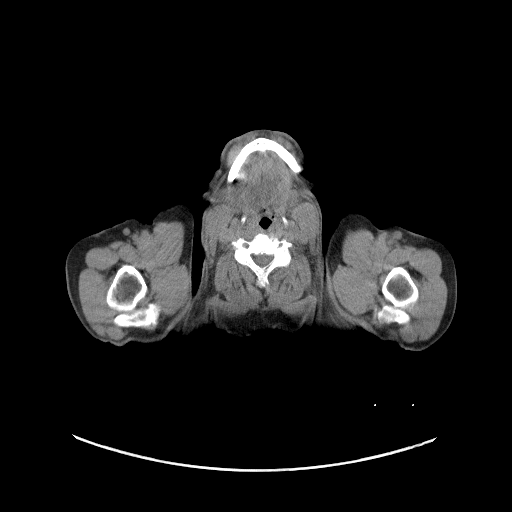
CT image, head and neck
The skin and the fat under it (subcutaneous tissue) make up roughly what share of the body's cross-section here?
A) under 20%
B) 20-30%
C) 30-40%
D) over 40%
Answer: B) 20-30%
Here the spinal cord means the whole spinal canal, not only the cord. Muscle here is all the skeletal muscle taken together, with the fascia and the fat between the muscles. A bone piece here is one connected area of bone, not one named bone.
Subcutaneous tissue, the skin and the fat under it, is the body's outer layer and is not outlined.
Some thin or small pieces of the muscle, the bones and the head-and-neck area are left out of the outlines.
{"spinal_cord":[[[252,255],[269,255],[270,256],[272,256],[272,258],[271,259],[271,260],[266,265],[265,265],[264,266],[260,266],[259,265],[258,265],[254,261],[254,260],[253,259],[253,257],[252,256]]],"left_arm":[[[347,212],[357,212],[366,216],[378,228],[398,225],[433,238],[441,242],[450,252],[454,260],[457,277],[456,308],[448,329],[428,348],[421,351],[413,351],[404,349],[393,341],[382,340],[377,336],[368,333],[333,301],[324,265],[325,249],[340,218]]],"muscle":[{"outer":[[252,134],[283,137],[300,163],[280,142],[257,136],[234,156],[226,182],[238,177],[252,153],[271,151],[294,174],[301,173],[318,212],[316,301],[307,314],[253,309],[228,315],[205,305],[209,291],[206,215],[215,203],[213,190],[225,170],[228,151]],"hole":[[260,232],[273,235],[278,239],[285,238],[292,244],[289,248],[291,255],[289,264],[287,266],[276,267],[268,274],[267,278],[269,284],[267,287],[258,286],[255,273],[248,266],[237,262],[234,258],[234,247],[231,244],[233,240],[239,237],[250,240]]},{"outer":[[359,227],[372,229],[379,233],[398,230],[411,243],[418,247],[431,248],[440,256],[441,276],[447,286],[447,301],[440,324],[428,339],[411,343],[375,327],[368,328],[352,323],[341,314],[333,303],[328,289],[328,279],[338,261],[338,245],[344,231]],"hole":[[396,266],[401,266],[409,272],[417,287],[418,299],[411,307],[408,307],[406,309],[410,317],[410,320],[407,323],[381,323],[377,319],[373,318],[372,313],[375,308],[379,309],[383,304],[387,302],[381,292],[381,286],[387,273],[393,267]]},[[161,220],[184,224],[180,261],[188,271],[191,308],[174,322],[170,317],[158,325],[161,306],[142,303],[148,285],[134,265],[123,263],[105,302],[117,312],[114,325],[135,328],[117,339],[98,334],[79,300],[78,276],[86,252],[126,227],[152,228]]],"right_arm":[[[176,203],[187,205],[191,209],[194,218],[191,262],[192,290],[188,307],[170,328],[167,336],[160,341],[151,343],[130,341],[122,346],[117,346],[95,339],[79,321],[67,293],[65,260],[70,248],[81,238],[129,218],[150,223],[154,215],[160,210]]],"head_and_neck":[{"outer":[[262,128],[286,132],[301,147],[307,160],[303,174],[315,184],[321,208],[323,265],[332,301],[366,332],[337,335],[302,328],[291,334],[272,330],[236,337],[209,326],[188,336],[168,335],[200,281],[200,226],[208,204],[201,196],[222,149],[230,139]],"hole":[[264,217],[266,217],[267,218],[269,218],[269,219],[270,220],[270,223],[269,224],[269,225],[268,225],[267,226],[267,227],[262,227],[262,226],[261,225],[260,225],[260,221],[262,219],[262,218],[263,218]]}],"bones":[[[123,264],[129,264],[134,266],[141,273],[147,285],[147,292],[141,303],[144,306],[146,306],[147,304],[152,302],[160,306],[158,323],[155,327],[151,325],[148,327],[122,327],[114,324],[113,319],[118,312],[108,306],[106,302],[106,293],[116,271]],{"outer":[[260,232],[273,235],[278,239],[285,238],[292,244],[289,248],[291,255],[289,264],[287,266],[276,267],[268,274],[267,278],[269,284],[267,287],[258,286],[255,273],[248,266],[237,262],[234,258],[234,247],[231,244],[233,240],[239,237],[250,240]],"hole":[[252,255],[269,255],[270,256],[272,256],[272,258],[271,259],[271,260],[266,265],[265,265],[264,266],[260,266],[259,265],[258,265],[254,261],[254,260],[253,259],[253,257],[252,256]]},[[396,266],[401,266],[409,272],[417,287],[418,299],[411,307],[408,307],[406,309],[410,317],[410,320],[407,323],[381,323],[377,319],[373,318],[372,313],[375,308],[379,309],[383,304],[387,302],[381,292],[381,286],[387,273],[393,267]],[[257,137],[266,137],[275,140],[283,145],[302,166],[303,168],[302,171],[299,173],[294,173],[288,165],[275,152],[271,150],[266,150],[263,152],[254,151],[247,157],[245,162],[242,165],[237,177],[233,181],[227,182],[228,171],[235,156],[246,143]]]}